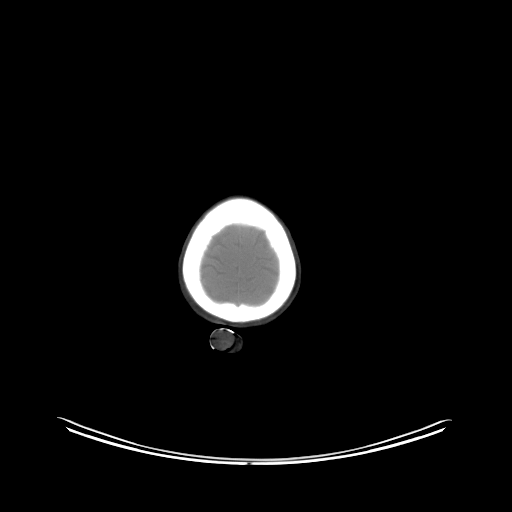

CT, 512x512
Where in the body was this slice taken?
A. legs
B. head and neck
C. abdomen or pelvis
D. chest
B. head and neck
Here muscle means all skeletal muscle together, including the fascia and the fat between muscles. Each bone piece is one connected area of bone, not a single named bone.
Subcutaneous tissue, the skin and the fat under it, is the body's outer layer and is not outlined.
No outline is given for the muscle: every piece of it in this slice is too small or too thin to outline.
{"bones":[{"outer":[[232,196],[250,197],[268,207],[283,224],[289,237],[296,260],[295,284],[291,294],[285,303],[278,310],[269,316],[248,322],[230,322],[213,316],[204,311],[194,302],[189,295],[184,285],[181,273],[181,265],[184,250],[194,226],[208,209],[216,203]],"hole":[[234,224],[235,225],[250,226],[261,230],[277,259],[277,279],[275,285],[268,297],[261,303],[250,304],[241,302],[237,304],[232,301],[218,301],[215,300],[207,293],[202,283],[201,266],[205,252],[208,248],[208,246],[215,235],[219,233],[225,227]]}],"brain":[[[234,224],[235,225],[250,226],[261,230],[277,259],[277,279],[275,285],[268,297],[261,303],[250,304],[241,302],[237,304],[232,301],[218,301],[215,300],[207,293],[202,283],[201,266],[205,252],[208,248],[208,246],[215,235],[219,233],[225,227]]],"head":[[[232,193],[245,193],[255,196],[277,212],[289,226],[293,234],[302,263],[302,283],[293,305],[283,317],[259,329],[243,330],[230,327],[218,327],[219,326],[216,324],[208,323],[198,318],[182,298],[176,280],[177,256],[190,226],[208,206],[216,200]]]}